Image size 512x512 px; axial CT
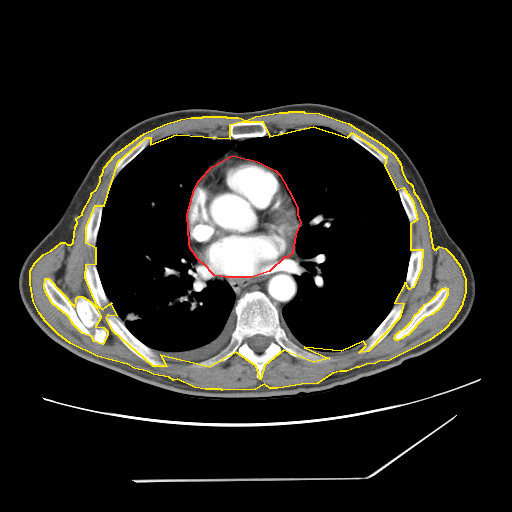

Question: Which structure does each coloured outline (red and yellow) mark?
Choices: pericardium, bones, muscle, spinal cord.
Answer: red: pericardium; yellow: muscle.
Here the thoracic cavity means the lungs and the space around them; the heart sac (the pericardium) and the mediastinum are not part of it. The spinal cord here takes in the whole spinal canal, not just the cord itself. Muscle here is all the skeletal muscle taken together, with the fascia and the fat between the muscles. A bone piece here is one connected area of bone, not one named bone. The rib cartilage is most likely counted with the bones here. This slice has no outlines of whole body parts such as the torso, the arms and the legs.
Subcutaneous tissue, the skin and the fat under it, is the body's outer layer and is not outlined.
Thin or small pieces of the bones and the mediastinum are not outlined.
The pericardium is outlined by (232, 155) (257, 161) (275, 170) (279, 174) (292, 197) (297, 208) (297, 214) (300, 222) (295, 234) (292, 253) (287, 257) (284, 257) (269, 271) (251, 277) (226, 277) (214, 275) (203, 263) (200, 262) (190, 248) (189, 243) (187, 214) (194, 189) (199, 180) (212, 166). The muscle is outlined by (289, 111) (303, 111) (304, 112) (319, 113) (348, 123) (382, 144) (394, 154) (400, 163) (402, 173) (406, 180) (412, 185) (413, 191) (418, 198) (421, 206) (427, 216) (432, 247) (434, 249) (436, 249) (439, 246) (445, 248) (452, 255) (460, 266) (465, 279) (465, 292) (461, 306) (453, 319) (444, 329) (429, 340) (389, 360) (379, 361) (375, 363) (366, 364) (359, 367) (356, 367) (346, 371) (340, 371) (332, 373) (317, 383) (301, 384) (277, 388) (270, 388) (264, 384) (255, 389) (222, 390) (221, 389) (205, 389) (194, 387) (177, 379) (173, 380) (169, 377) (153, 374) (147, 371) (134, 368) (127, 364) (97, 356) (70, 343) (58, 334) (46, 322) (39, 313) (33, 301) (30, 283) (30, 270) (35, 262) (43, 254) (51, 250) (61, 242) (64, 242) (67, 244) (71, 244) (73, 242) (75, 226) (77, 223) (76, 218) (82, 214) (82, 212) (91, 196) (91, 193) (96, 189) (100, 182) (100, 176) (102, 174) (104, 167) (115, 154) (144, 133) (164, 124) (180, 119) (191, 117) (202, 117) (203, 116) (225, 116) (226, 117) (238, 117) (246, 120) (255, 116) (279, 112) (288, 112), around holes outlined by (241, 121) (262, 121) (269, 136) (313, 126) (347, 137) (352, 132) (386, 156) (384, 166) (396, 189) (403, 187) (412, 200) (417, 219) (410, 224) (410, 249) (422, 249) (421, 267) (413, 287) (409, 289) (405, 282) (394, 302) (403, 303) (399, 318) (368, 351) (359, 352) (366, 345) (363, 341) (341, 351) (304, 347) (329, 358) (313, 362) (283, 350) (264, 365) (260, 379) (256, 366) (236, 352) (209, 367) (160, 355) (166, 366) (153, 366) (113, 331) (106, 318) (108, 314) (117, 315) (111, 303) (102, 309) (97, 306) (85, 277) (86, 264) (96, 263) (96, 248) (86, 243) (86, 227) (95, 205) (104, 205) (118, 161) (146, 137) (150, 137) (150, 144) (176, 134) (230, 138) (230, 124) and by (45, 278) (48, 278) (74, 306) (76, 302) (76, 298) (78, 296) (82, 296) (90, 301) (96, 307) (100, 315) (100, 318) (95, 326) (103, 327) (107, 331) (107, 335) (102, 344) (94, 341) (91, 336) (82, 333) (73, 324) (68, 316) (52, 303) (45, 291) (44, 287) and by (445, 287) (447, 288) (447, 295) (440, 307) (432, 314) (423, 318) (407, 335) (404, 336) (402, 338) (398, 340) (396, 340) (394, 338) (395, 335) (400, 330) (404, 328) (411, 321) (414, 315) (419, 311) (419, 310) (423, 306) (424, 304) (431, 300) (442, 288) (444, 288). The bones appear in 12 outlined pieces: piece 1: (252, 291) (262, 292) (275, 306) (281, 327) (294, 343) (307, 351) (329, 359) (313, 362) (296, 358) (283, 350) (264, 365) (260, 379) (256, 377) (256, 366) (236, 352) (225, 361) (209, 367) (192, 366) (194, 363) (216, 355) (229, 343) (236, 326) (234, 306) (240, 297); inner edge: (257, 334) (259, 334) (260, 335) (262, 335) (263, 336) (265, 336) (266, 337) (269, 338) (269, 344) (268, 345) (268, 346) (262, 352) (256, 352) (255, 351) (254, 351) (249, 346) (249, 343) (248, 342) (248, 340) (251, 337) (252, 337) (254, 335) (256, 335); piece 2: (45, 278) (48, 278) (74, 306) (76, 302) (76, 298) (78, 296) (82, 296) (90, 301) (96, 307) (100, 315) (100, 318) (95, 326) (103, 327) (107, 331) (107, 335) (102, 344) (94, 341) (91, 336) (82, 333) (73, 324) (68, 316) (52, 303) (45, 291) (44, 287); piece 3: (108, 314) (113, 314) (117, 316) (121, 320) (126, 328) (138, 340) (139, 340) (149, 348) (152, 349) (156, 353) (159, 359) (166, 364) (166, 366) (164, 367) (153, 366) (143, 360) (140, 357) (131, 351) (120, 340) (120, 339) (116, 335) (116, 334) (109, 325) (106, 318); piece 4: (400, 302) (402, 302) (403, 303) (403, 310) (399, 318) (390, 331) (375, 346) (374, 346) (371, 349) (364, 353) (360, 353) (359, 351) (366, 345) (366, 343) (364, 342) (364, 341) (376, 329) (376, 328) (387, 316) (389, 312) (392, 309) (393, 306) (395, 304); piece 5: (445, 287) (447, 288) (447, 295) (440, 307) (432, 314) (423, 318) (407, 335) (404, 336) (402, 338) (398, 340) (396, 340) (394, 338) (395, 335) (400, 330) (404, 328) (411, 321) (414, 315) (419, 311) (419, 310) (423, 306) (424, 304) (431, 300) (442, 288) (444, 288); piece 6: (241, 121) (262, 121) (266, 125) (267, 127) (267, 130) (268, 131) (267, 132) (267, 134) (263, 136) (257, 136) (256, 137) (249, 137) (248, 138) (232, 138) (229, 135) (228, 133) (228, 130) (229, 129) (229, 126) (230, 124) (234, 122) (240, 122); piece 7: (87, 263) (93, 263) (95, 264) (96, 266) (96, 269) (99, 276) (99, 279) (100, 280) (101, 285) (109, 301) (109, 303) (107, 304) (104, 304) (102, 306) (102, 309) (99, 308) (99, 307) (97, 306) (88, 288) (88, 286) (86, 282) (86, 278) (85, 277) (85, 266); piece 8: (98, 203) (102, 204) (102, 212) (101, 213) (101, 218) (100, 219) (99, 228) (97, 232) (97, 237) (96, 238) (95, 247) (93, 247) (92, 246) (88, 246) (86, 243) (86, 227) (87, 226) (87, 223) (88, 222) (90, 214) (93, 208) (95, 206) (95, 205); piece 9: (416, 246) (419, 246) (422, 249) (422, 252) (423, 253) (422, 255) (422, 261) (421, 262) (421, 267) (417, 276) (417, 278) (415, 281) (415, 283) (413, 287) (411, 289) (409, 289) (409, 285) (405, 282) (405, 280) (407, 275) (411, 250); piece 10: (146, 137) (150, 137) (150, 141) (149, 142) (149, 143) (132, 160) (131, 160) (116, 175) (115, 175) (115, 167) (116, 166) (118, 161) (122, 157) (122, 156) (125, 153) (126, 153) (132, 147) (133, 147) (137, 143) (138, 143) (141, 140) (142, 140) (144, 138) (145, 138); piece 11: (350, 132) (352, 132) (364, 138) (366, 140) (367, 140) (369, 142) (373, 144) (376, 147) (377, 147) (386, 156) (387, 158) (387, 163) (386, 165) (384, 165) (375, 156) (374, 156) (365, 148) (364, 148) (357, 142) (356, 142) (354, 140) (350, 138) (349, 137) (349, 133); piece 12: (400, 187) (403, 187) (406, 190) (410, 198) (412, 200) (413, 204) (415, 207) (416, 213) (417, 214) (417, 219) (416, 221) (412, 223) (410, 223) (408, 219) (408, 217) (406, 214) (406, 212) (403, 207) (403, 205) (402, 204) (402, 202) (398, 192) (398, 189). The mediastinum appears in 2 outlined pieces: piece 1: (294, 242) (300, 259) (293, 265) (299, 286) (293, 299) (282, 308) (281, 315) (276, 306) (260, 290) (247, 291) (236, 301) (230, 285) (225, 280) (208, 279) (206, 272) (198, 263) (198, 260) (203, 264) (214, 276) (251, 278) (269, 272) (284, 258) (291, 255) (294, 251); piece 2: (234, 139) (245, 139) (236, 144) (236, 150) (238, 152) (241, 153) (245, 157) (246, 157) (243, 157) (237, 154) (232, 154) (231, 155) (228, 155) (212, 165) (211, 167) (210, 167) (199, 179) (199, 178) (205, 171) (207, 167) (210, 164) (221, 157) (236, 144) (236, 141). The spinal cord is outlined by (257, 334) (259, 334) (260, 335) (262, 335) (263, 336) (265, 336) (266, 337) (269, 338) (269, 344) (268, 345) (268, 346) (262, 352) (256, 352) (255, 351) (254, 351) (249, 346) (249, 343) (248, 342) (248, 340) (251, 337) (252, 337) (254, 335) (256, 335). The thoracic cavity appears in 2 outlined pieces: piece 1: (313, 126) (326, 127) (348, 137) (385, 167) (410, 224) (407, 270) (394, 304) (363, 341) (341, 351) (303, 348) (282, 327) (282, 310) (294, 299) (300, 286) (294, 265) (301, 259) (295, 242) (302, 223) (298, 208) (280, 174) (237, 150) (237, 144) (249, 138); piece 2: (176, 134) (235, 141) (198, 178) (186, 214) (186, 246) (195, 255) (208, 280) (225, 281) (233, 291) (235, 326) (228, 343) (220, 351) (206, 359) (191, 362) (172, 361) (158, 355) (127, 328) (104, 290) (96, 265) (96, 243) (103, 206) (114, 179) (149, 144).